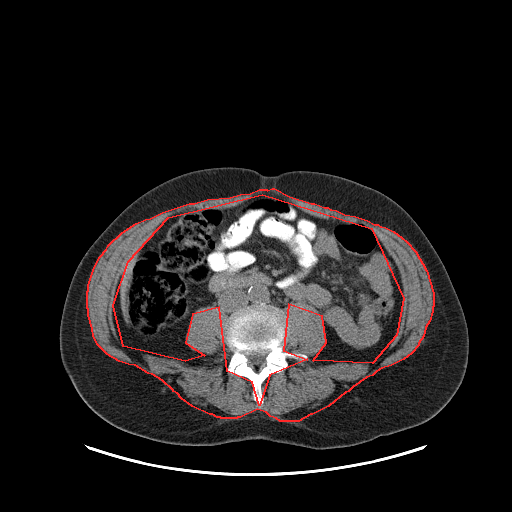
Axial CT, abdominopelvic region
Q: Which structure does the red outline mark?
A: red: muscle.
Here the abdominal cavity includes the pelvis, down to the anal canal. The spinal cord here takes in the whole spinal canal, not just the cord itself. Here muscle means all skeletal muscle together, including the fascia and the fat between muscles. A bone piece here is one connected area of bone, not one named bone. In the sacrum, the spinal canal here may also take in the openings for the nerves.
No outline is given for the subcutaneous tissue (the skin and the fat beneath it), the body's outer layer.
The muscle is outlined by 272,188 274,188 289,196 311,203 314,203 324,207 327,207 330,209 336,210 344,214 355,216 367,220 374,224 377,224 380,226 385,227 393,231 401,237 406,241 415,251 426,270 433,293 433,306 432,307 432,311 429,321 425,327 423,336 418,343 418,345 411,353 403,359 391,365 381,368 376,371 372,375 366,377 352,387 348,391 345,392 328,406 312,414 310,414 298,421 280,421 276,418 270,416 266,412 257,409 240,417 237,417 236,418 221,418 220,417 217,417 212,414 209,414 192,406 181,398 177,393 173,391 173,390 162,380 152,374 148,373 135,365 128,364 119,361 107,354 98,345 93,336 92,328 88,315 88,309 87,308 87,291 88,290 88,285 94,267 100,256 106,249 108,245 122,232 136,223 145,219 150,218 162,212 189,203 194,203 207,199 230,197 240,194 250,193 259,189 266,189 267,190 with a hole at 262,194 371,228 403,298 396,335 372,363 313,360 326,342 322,316 288,304 283,350 307,359 269,375 259,405 252,382 227,371 219,307 192,314 185,342 204,355 185,361 123,346 113,305 128,261 168,217. The torso is outlined by 222,166 246,167 264,175 290,170 335,174 380,191 413,218 449,275 468,329 464,377 435,416 340,448 314,449 264,439 176,445 120,430 84,403 63,367 59,349 62,310 80,260 105,228 148,190 189,171. The abdominal cavity is outlined by 262,194 377,235 397,265 403,295 387,351 372,363 316,362 324,322 301,301 282,310 252,303 228,316 214,305 199,307 184,337 204,355 197,361 123,346 113,322 116,286 154,230 177,213 231,208. The bones are outlined by 261,303 279,308 288,320 289,334 283,350 305,354 307,359 288,358 285,369 269,375 261,384 263,403 259,405 253,399 252,382 244,376 231,374 227,371 233,352 224,342 224,329 228,317 234,311 248,305; inner edge: 253,351 255,351 256,352 261,352 262,354 264,354 265,353 266,354 264,358 264,361 263,361 259,365 254,365 253,364 250,364 249,363 249,360 247,357 247,355 250,354 251,352. The spinal cord is outlined by 253,351 255,351 256,352 261,352 262,354 264,354 265,353 266,354 264,358 264,361 263,361 259,365 254,365 253,364 250,364 249,363 249,360 247,357 247,355 250,354 251,352.